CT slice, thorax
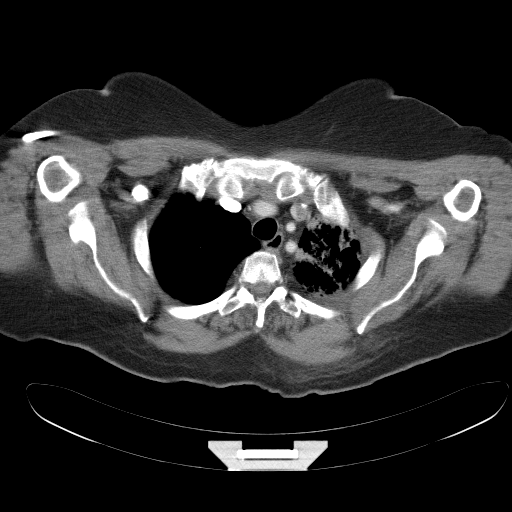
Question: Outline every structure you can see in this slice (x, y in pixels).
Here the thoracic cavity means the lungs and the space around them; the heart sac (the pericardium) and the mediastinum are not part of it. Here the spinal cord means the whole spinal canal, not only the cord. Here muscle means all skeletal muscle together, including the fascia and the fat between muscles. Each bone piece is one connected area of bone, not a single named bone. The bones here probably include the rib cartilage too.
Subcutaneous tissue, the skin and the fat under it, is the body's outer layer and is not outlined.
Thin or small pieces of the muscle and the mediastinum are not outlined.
Answer: Outlined structures:
muscle 1: (60, 132) (98, 142) (153, 134) (190, 136) (258, 153) (303, 147) (405, 160) (431, 160) (454, 154) (496, 155) (511, 164) (511, 275) (504, 287) (495, 293) (457, 295) (455, 300) (419, 311) (408, 311) (379, 329) (378, 333) (386, 341) (376, 352) (337, 368) (319, 370) (284, 360) (256, 335) (207, 354) (161, 350) (142, 338) (133, 324) (132, 314) (121, 307) (93, 296) (60, 291) (43, 278) (0, 271) (0, 161) (8, 156) (10, 148) (20, 142) with holes at (243, 156) (287, 159) (326, 174) (360, 241) (362, 262) (381, 251) (375, 272) (358, 289) (303, 296) (341, 314) (296, 318) (273, 301) (258, 328) (250, 304) (194, 319) (164, 309) (184, 303) (137, 261) (136, 223) (146, 216) (150, 230) (177, 191) (183, 166) and at (84, 200) (87, 201) (89, 217) (95, 229) (97, 258) (108, 277) (130, 293) (139, 302) (144, 313) (149, 315) (145, 322) (139, 319) (132, 303) (115, 293) (101, 277) (94, 263) (91, 248) (82, 241) (75, 244) (70, 239) (68, 231) (70, 221) (66, 214) (76, 203) and at (55, 154) (60, 154) (62, 155) (65, 159) (70, 164) (75, 167) (81, 174) (81, 182) (75, 188) (74, 188) (62, 201) (60, 202) (52, 202) (49, 201) (40, 191) (37, 182) (37, 179) (36, 178) (36, 171) (38, 165) (42, 160) (45, 158) and at (429, 218) (444, 226) (448, 233) (443, 251) (437, 256) (430, 256) (424, 259) (417, 268) (414, 281) (402, 296) (397, 301) (376, 312) (368, 321) (363, 333) (357, 333) (355, 329) (356, 326) (364, 316) (382, 301) (394, 296) (409, 279) (413, 270) (416, 246) (430, 225) and at (460, 179) (468, 179) (474, 182) (478, 185) (481, 191) (481, 200) (480, 201) (477, 211) (475, 214) (474, 214) (467, 221) (465, 221) (464, 222) (458, 221) (452, 217) (451, 214) (444, 206) (443, 204) (443, 200) (442, 199) (443, 195) (446, 192) (450, 190)
muscle 2: (255, 180) (257, 181) (264, 181) (268, 184) (272, 184) (274, 182) (274, 197) (273, 196) (270, 196) (267, 192) (263, 190) (258, 190) (257, 191) (254, 191) (253, 192) (250, 192) (249, 193) (247, 193) (244, 188) (244, 181) (250, 181) (252, 182)
mediastinum: (258, 191) (263, 191) (270, 197) (275, 196) (280, 201) (303, 194) (321, 213) (303, 231) (298, 244) (299, 250) (290, 263) (282, 265) (283, 260) (276, 253) (261, 248) (251, 234) (249, 221) (241, 213) (229, 211) (203, 199) (206, 194) (234, 194) (242, 197) (245, 193)
right arm: (67, 90) (71, 95) (72, 99) (79, 110) (85, 127) (85, 135) (86, 136) (85, 172) (78, 187) (76, 196) (71, 205) (66, 225) (60, 236) (60, 238) (53, 249) (41, 262) (33, 268) (28, 270) (21, 276) (0, 287) (0, 133) (3, 132) (33, 108) (49, 98)
left arm: (444, 112) (462, 125) (477, 125) (482, 127) (489, 132) (494, 132) (504, 135) (511, 140) (511, 291) (498, 284) (490, 278) (468, 256) (448, 229) (438, 206) (433, 183) (433, 170) (434, 169) (435, 156) (438, 145) (438, 139) (441, 132) (441, 126) (442, 125) (443, 113)
bones 1: (243, 156) (287, 159) (316, 173) (326, 174) (348, 212) (349, 228) (342, 228) (323, 215) (309, 190) (286, 200) (278, 199) (274, 181) (244, 180) (245, 192) (242, 196) (220, 194) (212, 185) (206, 189) (201, 200) (189, 192) (177, 191) (183, 166) (208, 157) (222, 160)
bones 2: (260, 249) (282, 260) (281, 268) (291, 290) (341, 314) (325, 319) (302, 312) (296, 318) (273, 301) (266, 308) (263, 326) (258, 328) (256, 309) (250, 304) (223, 316) (213, 311) (194, 319) (176, 318) (164, 309) (167, 305) (196, 305) (214, 299) (234, 283) (244, 258) with a hole at (258, 282) (264, 282) (265, 283) (267, 283) (268, 284) (269, 284) (272, 287) (270, 293) (265, 298) (263, 298) (262, 297) (258, 297) (257, 298) (256, 298) (254, 296) (254, 295) (250, 291) (250, 286) (251, 285) (253, 285) (254, 284) (255, 284)
bones 3: (84, 200) (87, 201) (89, 217) (95, 229) (97, 258) (108, 277) (130, 293) (139, 302) (144, 313) (149, 315) (145, 322) (139, 319) (132, 303) (115, 293) (101, 277) (94, 263) (91, 248) (82, 241) (75, 244) (70, 239) (68, 231) (70, 221) (66, 214) (76, 203)
bones 4: (55, 154) (60, 154) (62, 155) (65, 159) (70, 164) (75, 167) (81, 174) (81, 182) (75, 188) (74, 188) (62, 201) (60, 202) (52, 202) (49, 201) (40, 191) (37, 182) (37, 179) (36, 178) (36, 171) (38, 165) (42, 160) (45, 158)
bones 5: (429, 218) (444, 226) (448, 233) (443, 251) (437, 256) (430, 256) (424, 259) (417, 268) (414, 281) (402, 296) (397, 301) (376, 312) (368, 321) (363, 333) (357, 333) (355, 329) (356, 326) (364, 316) (382, 301) (394, 296) (409, 279) (413, 270) (416, 246) (430, 225)
bones 6: (460, 179) (468, 179) (474, 182) (478, 185) (481, 191) (481, 200) (480, 201) (477, 211) (475, 214) (474, 214) (467, 221) (465, 221) (464, 222) (458, 221) (452, 217) (451, 214) (444, 206) (443, 204) (443, 200) (442, 199) (443, 195) (446, 192) (450, 190)
bones 7: (145, 216) (146, 216) (146, 222) (148, 226) (148, 245) (149, 246) (149, 253) (150, 254) (150, 259) (153, 267) (154, 274) (156, 278) (155, 280) (153, 280) (144, 271) (140, 264) (137, 261) (133, 249) (133, 241) (132, 238) (133, 237) (134, 227) (136, 223)
bones 8: (377, 249) (381, 251) (381, 254) (382, 255) (378, 263) (378, 265) (375, 270) (375, 272) (370, 278) (370, 279) (365, 284) (364, 284) (361, 287) (354, 291) (351, 290) (350, 289) (350, 284) (355, 277) (359, 268) (366, 260) (369, 255) (372, 252)
thoracic cavity 1: (175, 192) (189, 193) (197, 201) (209, 201) (215, 205) (219, 205) (224, 210) (241, 214) (249, 223) (249, 231) (251, 236) (260, 245) (259, 249) (253, 251) (243, 258) (233, 280) (233, 283) (214, 298) (202, 303) (184, 303) (170, 295) (158, 282) (151, 259) (149, 231)
thoracic cavity 2: (318, 214) (329, 218) (330, 222) (338, 225) (342, 229) (350, 228) (353, 237) (360, 241) (362, 263) (347, 287) (335, 295) (316, 298) (311, 295) (303, 295) (295, 289) (291, 289) (289, 287) (288, 274) (282, 266) (290, 264) (296, 258) (300, 250) (299, 244) (302, 235)
torso: (123, 70) (160, 76) (243, 123) (285, 117) (370, 75) (442, 111) (432, 170) (435, 200) (467, 256) (511, 292) (511, 332) (369, 385) (288, 398) (251, 384) (218, 388) (156, 381) (76, 346) (0, 334) (0, 288) (54, 249) (86, 172) (86, 127) (68, 90) (99, 89)
spinal cord: (258, 282) (264, 282) (265, 283) (267, 283) (268, 284) (269, 284) (272, 287) (270, 293) (265, 298) (263, 298) (262, 297) (258, 297) (257, 298) (256, 298) (254, 296) (254, 295) (250, 291) (250, 286) (251, 285) (253, 285) (254, 284) (255, 284)